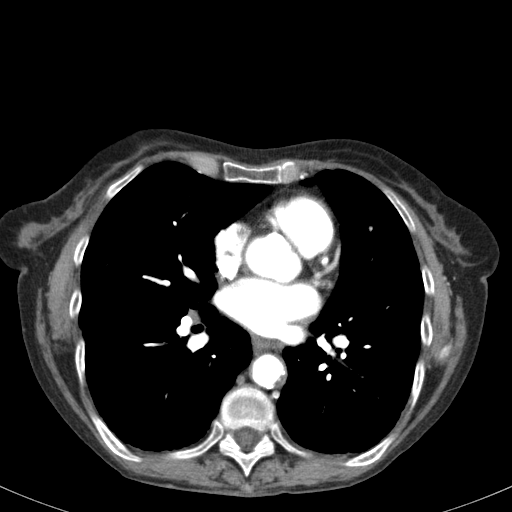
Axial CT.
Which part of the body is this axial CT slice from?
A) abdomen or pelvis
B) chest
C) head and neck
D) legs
B) chest
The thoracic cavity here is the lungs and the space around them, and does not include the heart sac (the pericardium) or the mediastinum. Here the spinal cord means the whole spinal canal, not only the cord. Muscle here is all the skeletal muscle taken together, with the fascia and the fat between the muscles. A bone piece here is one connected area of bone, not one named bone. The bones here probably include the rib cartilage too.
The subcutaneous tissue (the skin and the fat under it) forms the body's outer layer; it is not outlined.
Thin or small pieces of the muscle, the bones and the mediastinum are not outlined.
Outlined structures:
muscle: 170,150 220,153 254,165 282,158 333,160 364,170 409,204 456,274 467,324 461,357 427,414 371,469 344,481 251,493 139,475 104,449 65,399 35,335 40,281 104,186 123,174 107,187 106,203 90,234 84,233 75,244 72,260 80,266 80,285 73,288 68,303 69,317 77,318 81,331 73,351 75,370 79,384 87,384 96,410 88,415 114,454 139,463 143,458 131,448 167,451 163,456 168,460 197,458 214,449 233,459 246,478 260,459 277,452 277,446 304,459 313,457 312,451 347,455 340,463 345,467 366,466 394,441 397,434 392,429 402,411 407,403 411,411 420,395 426,372 424,359 418,358 420,346 429,347 433,338 424,298 435,293 435,284 431,269 425,263 420,266 411,236 415,222 392,189 379,188 341,168 308,173 293,159 248,166 190,153 185,155 186,163 164,159 146,167 139,163 126,172 139,159 with a hole at 448,343 450,343 451,344 451,348 450,349 450,351 449,352 449,354 447,356 446,356 445,357 443,357 442,358 439,358 439,353 440,352 440,351 441,350 441,349 446,344 447,344
mediastinum 1: 308,327 309,334 302,336 301,339 293,345 286,345 282,350 282,356 287,367 287,378 275,406 262,390 251,385 242,385 230,389 237,376 248,366 252,358 251,340 246,330 251,334 263,338 283,342 305,332
mediastinum 2: 305,173 308,174 314,173 314,174 312,177 302,178 300,180 300,183 303,186 310,186 316,184 324,195 327,202 323,201 310,192 288,188 280,189 263,199 272,191 272,187 269,184 289,183 296,180 297,178
bones 1: 242,386 262,391 275,407 275,418 280,423 283,435 313,456 304,458 277,445 276,452 260,458 247,477 233,458 214,448 186,459 168,459 164,456 169,451 191,447 202,441 219,415 223,397 230,390 with a hole at 243,427 248,427 249,428 251,428 255,430 259,434 259,439 254,445 252,449 249,451 244,451 242,450 240,446 235,440 235,438 234,437 234,434 235,433 235,431
bones 2: 190,154 211,157 219,162 231,161 248,167 270,166 280,164 286,160 293,160 299,165 303,171 306,172 292,181 283,183 227,181 224,180 221,176 212,177 205,174 200,169 190,166 186,160 186,155
bones 3: 91,410 95,411 98,414 98,415 101,418 110,431 130,450 131,450 134,453 139,455 142,458 142,460 139,462 136,462 135,461 124,459 114,453 106,445 100,436 94,424 92,422 89,415 89,411
bones 4: 392,431 396,434 395,438 388,446 382,455 377,460 366,465 361,465 360,466 345,466 341,464 343,461 346,460 348,458 350,457 353,457 358,454 365,452 371,448 374,447 386,436 387,436 390,432
bones 5: 381,187 386,187 392,190 397,195 397,196 405,205 415,225 415,232 414,233 410,233 407,226 405,224 400,214 398,212 396,208 393,205 393,204 390,201 390,200 381,190 380,188
bones 6: 419,358 422,358 424,361 425,372 424,373 424,377 423,378 423,382 421,386 421,389 419,392 419,395 413,408 410,410 410,406 407,402 412,387 412,383 414,377 414,372 415,371 415,366
bones 7: 139,164 142,164 144,166 144,168 137,175 136,175 121,189 120,189 107,202 105,198 105,194 106,193 106,191 108,187 111,184 112,184 114,182 121,178 126,173 127,173 130,170 131,170 134,167 135,167
bones 8: 80,336 82,336 83,338 83,340 84,341 84,362 85,363 85,380 86,381 86,383 83,386 82,386 80,384 80,382 79,381 79,378 78,377 78,374 76,370 75,361 74,360 74,351 75,350 75,346
bones 9: 423,311 427,311 429,313 429,315 430,316 430,320 431,321 431,325 432,326 432,338 431,339 431,342 430,343 430,344 429,345 429,346 423,346 421,344 421,320 422,319 422,315 423,314
spinal cord: 243,427 248,427 249,428 251,428 255,430 259,434 259,439 254,445 252,449 249,451 244,451 242,450 240,446 235,440 235,438 234,437 234,434 235,433 235,431
pericardium: 283,189 307,192 327,203 337,221 341,245 339,254 338,275 317,317 307,327 305,331 282,341 251,333 222,313 214,304 213,298 217,289 217,282 215,278 215,236 220,230 226,228 236,220 243,218 257,204
thoracic cavity 1: 164,160 227,182 268,184 271,191 213,238 216,289 212,302 221,316 247,332 250,361 222,397 218,415 202,440 178,449 150,451 129,448 99,415 86,380 85,341 78,317 81,265 96,221 120,190 145,168
thoracic cavity 2: 324,169 352,172 385,195 410,234 424,292 419,352 407,401 387,435 369,449 349,457 295,445 284,435 276,418 276,404 288,378 283,350 310,334 309,327 339,275 340,223 320,187 316,183 301,183
torso: 149,127 255,148 325,138 370,142 420,170 491,229 500,256 487,278 484,323 471,368 439,419 383,470 349,487 260,497 155,486 125,478 107,464 48,400 22,338 19,273 0,259 0,216 48,196 98,150